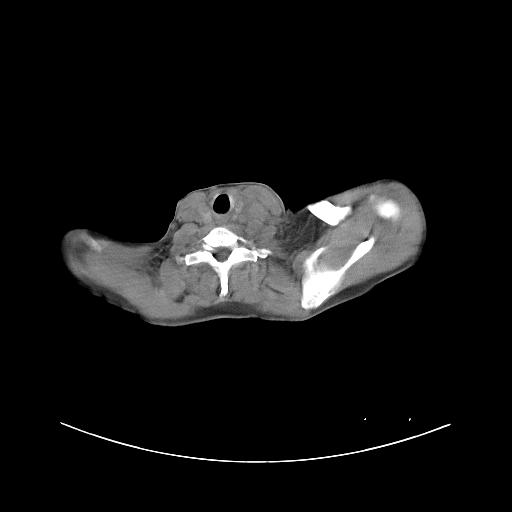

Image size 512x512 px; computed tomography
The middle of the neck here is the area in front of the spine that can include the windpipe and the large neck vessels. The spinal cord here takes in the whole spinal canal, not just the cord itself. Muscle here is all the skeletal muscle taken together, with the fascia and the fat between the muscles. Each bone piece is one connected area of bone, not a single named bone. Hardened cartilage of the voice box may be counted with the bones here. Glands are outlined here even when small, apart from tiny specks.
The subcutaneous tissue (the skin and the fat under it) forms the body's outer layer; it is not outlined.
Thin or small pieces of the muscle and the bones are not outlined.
The middle of the neck appears in 2 outlined pieces: piece 1: (218, 192) (230, 192) (235, 195) (235, 204) (236, 205) (235, 206) (235, 212) (236, 213) (240, 212) (243, 209) (245, 204) (249, 208) (249, 215) (248, 217) (243, 221) (230, 222) (220, 225) (214, 225) (208, 223) (212, 219) (211, 212) (208, 205) (208, 200) (214, 194); piece 2: (196, 211) (197, 212) (197, 213) (199, 215) (199, 216) (201, 218) (201, 220) (204, 223) (205, 223) (202, 223) (202, 222) (201, 221) (198, 221) (196, 219) (194, 219) (194, 218) (193, 217) (192, 217) (192, 215) (193, 215) (196, 212). The spinal cord is outlined by (218, 247) (227, 247) (228, 248) (229, 248) (230, 249) (230, 252) (229, 253) (229, 254) (228, 255) (228, 256) (224, 260) (218, 260) (217, 259) (217, 258) (214, 255) (214, 251) (215, 250) (215, 249) (216, 248) (217, 248). The thyroid glands appear in 2 outlined pieces: piece 1: (203, 201) (207, 201) (207, 205) (208, 206) (208, 208) (210, 212) (210, 215) (211, 216) (211, 219) (210, 221) (207, 223) (204, 222) (202, 220) (202, 218) (200, 216) (200, 215) (197, 211) (197, 206) (198, 204) (200, 202) (202, 202); piece 2: (236, 197) (239, 197) (240, 198) (241, 198) (241, 199) (242, 200) (243, 200) (243, 201) (244, 202) (244, 205) (243, 206) (243, 207) (242, 208) (242, 209) (240, 211) (239, 211) (238, 212) (236, 212) (236, 206) (237, 205) (236, 204). The head and neck is outlined by (224, 182) (261, 182) (267, 184) (277, 192) (284, 203) (284, 234) (286, 242) (286, 263) (284, 267) (284, 275) (281, 282) (281, 287) (274, 308) (269, 317) (265, 320) (256, 318) (219, 318) (200, 322) (173, 276) (164, 234) (174, 215) (175, 206) (178, 200) (192, 190). The right arm is outlined by (76, 226) (83, 226) (84, 227) (87, 227) (90, 229) (97, 231) (97, 233) (96, 234) (95, 241) (87, 257) (83, 262) (82, 265) (76, 271) (76, 272) (70, 277) (65, 271) (62, 265) (62, 262) (60, 259) (59, 241) (62, 234) (66, 230) (69, 228) (75, 227). The left arm is outlined by (386, 177) (387, 178) (398, 178) (404, 181) (415, 191) (421, 200) (427, 218) (428, 235) (427, 236) (427, 241) (420, 259) (414, 254) (393, 246) (379, 235) (373, 232) (368, 224) (367, 218) (364, 215) (362, 206) (362, 184) (360, 183) (374, 180) (378, 178) (385, 178). The muscle is outlined by (380, 182) (399, 183) (415, 198) (423, 222) (417, 249) (400, 265) (336, 293) (376, 237) (357, 243) (335, 268) (318, 262) (328, 246) (317, 247) (302, 261) (300, 306) (313, 310) (304, 315) (229, 302) (176, 319) (152, 318) (78, 277) (64, 255) (64, 238) (77, 230) (88, 233) (83, 243) (96, 251) (106, 243) (102, 238) (163, 246) (181, 203) (193, 193) (220, 187) (259, 185) (290, 217) (307, 210) (336, 226) (353, 207) (330, 201); inner edges: (218, 192) (230, 192) (249, 208) (245, 220) (224, 225) (249, 240) (252, 246) (272, 251) (256, 262) (234, 265) (228, 274) (228, 293) (222, 298) (219, 277) (207, 263) (186, 265) (176, 261) (178, 255) (194, 251) (198, 241) (215, 226) (202, 223) (192, 215) (200, 202), then (371, 194) (374, 194) (377, 196) (381, 196) (385, 198) (392, 198) (396, 200) (399, 203) (401, 207) (401, 215) (400, 217) (397, 220) (395, 221) (389, 221) (388, 220) (385, 220) (384, 219) (382, 219) (378, 217) (372, 210) (370, 206) (369, 201) (368, 200), then (71, 263) (75, 263) (79, 267) (79, 268) (80, 269) (81, 269) (83, 271) (83, 272) (82, 272) (81, 271) (80, 271) (80, 270) (79, 269) (76, 269) (75, 270) (75, 271) (74, 271) (73, 270) (73, 269) (71, 267). The torso appears in 2 outlined pieces: piece 1: (359, 183) (361, 184) (362, 211) (370, 230) (393, 247) (414, 255) (419, 259) (418, 262) (407, 270) (386, 279) (369, 292) (334, 306) (310, 319) (298, 322) (266, 321) (275, 308) (282, 287) (287, 263) (285, 205) (292, 210) (297, 210) (307, 204) (320, 200) (326, 195); piece 2: (98, 231) (114, 238) (127, 241) (155, 241) (163, 235) (172, 272) (172, 276) (199, 323) (179, 327) (162, 327) (152, 325) (146, 323) (132, 313) (124, 311) (113, 305) (110, 305) (106, 303) (101, 298) (91, 295) (80, 287) (71, 277) (83, 265) (91, 252) (96, 241). The bones appear in 5 outlined pieces: piece 1: (221, 225) (249, 240) (252, 246) (264, 247) (272, 251) (271, 254) (259, 258) (256, 262) (243, 261) (234, 265) (228, 274) (228, 293) (222, 298) (219, 296) (219, 277) (207, 263) (186, 265) (184, 262) (176, 261) (178, 255) (183, 256) (194, 251) (202, 237) (213, 227) with a hole at (218, 247) (227, 247) (228, 248) (229, 248) (230, 249) (230, 252) (229, 253) (229, 254) (228, 255) (228, 256) (224, 260) (218, 260) (217, 259) (217, 258) (214, 255) (214, 251) (215, 250) (215, 249) (216, 248) (217, 248); piece 2: (372, 235) (375, 237) (375, 241) (372, 247) (346, 270) (344, 278) (337, 291) (328, 297) (315, 309) (308, 310) (303, 308) (301, 306) (301, 281) (304, 274) (304, 259) (317, 248) (327, 246) (326, 250) (318, 257) (317, 262) (329, 268) (338, 268) (346, 261) (357, 244); piece 3: (322, 199) (326, 199) (333, 204) (335, 205) (339, 205) (340, 206) (344, 206) (349, 204) (351, 205) (352, 207) (352, 213) (347, 216) (338, 224) (336, 225) (330, 225) (321, 219) (318, 218) (306, 208) (306, 205) (307, 204) (309, 204) (310, 203) (312, 203); piece 4: (371, 194) (374, 194) (377, 196) (381, 196) (385, 198) (392, 198) (396, 200) (399, 203) (401, 207) (401, 215) (400, 217) (397, 220) (395, 221) (389, 221) (388, 220) (385, 220) (384, 219) (382, 219) (378, 217) (372, 210) (370, 206) (369, 201) (368, 200); piece 5: (86, 234) (88, 234) (89, 235) (91, 235) (92, 236) (94, 236) (95, 237) (97, 237) (98, 238) (101, 238) (102, 239) (105, 240) (105, 243) (104, 243) (103, 244) (102, 247) (99, 250) (96, 250) (95, 249) (91, 249) (90, 248) (89, 248) (84, 243) (83, 238).